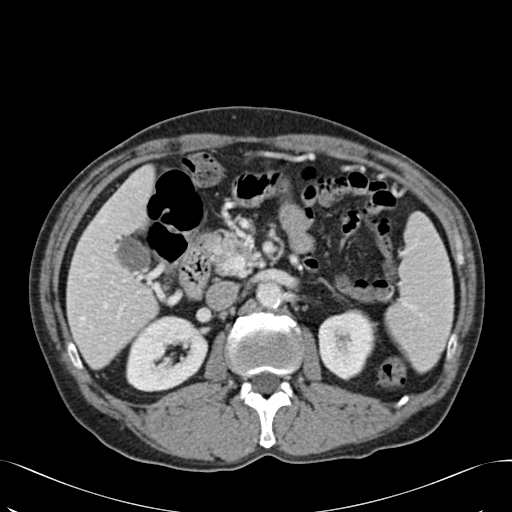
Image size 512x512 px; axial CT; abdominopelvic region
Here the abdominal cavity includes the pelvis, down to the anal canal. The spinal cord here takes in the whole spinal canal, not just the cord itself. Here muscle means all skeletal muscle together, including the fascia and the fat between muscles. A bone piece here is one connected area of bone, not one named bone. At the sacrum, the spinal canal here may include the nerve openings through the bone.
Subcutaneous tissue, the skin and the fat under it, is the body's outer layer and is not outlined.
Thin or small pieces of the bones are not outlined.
{"torso":[[[222,105],[289,108],[349,125],[419,162],[467,209],[484,264],[483,324],[447,415],[426,437],[359,459],[293,464],[264,456],[230,471],[186,471],[118,453],[81,426],[66,408],[38,345],[28,303],[30,260],[46,214],[82,168],[122,140],[162,119]]],"abdominal_cavity":[[[236,142],[365,163],[411,187],[435,214],[455,261],[459,311],[429,387],[383,401],[323,382],[310,331],[288,314],[263,310],[238,316],[227,334],[215,338],[204,380],[155,401],[117,397],[85,368],[66,327],[58,286],[65,250],[92,202],[140,162]]],"spinal_cord":[[[262,372],[268,372],[269,373],[271,373],[272,374],[277,375],[281,378],[281,380],[278,385],[278,389],[266,396],[257,391],[254,391],[252,389],[252,383],[250,380],[250,379],[252,377],[252,376],[253,376],[254,375],[257,375]]],"bones":[{"outer":[[259,311],[288,315],[301,329],[297,340],[302,351],[301,364],[289,376],[294,395],[290,398],[291,404],[281,406],[273,417],[271,426],[275,443],[269,448],[259,444],[261,424],[257,411],[237,397],[243,378],[230,369],[225,347],[226,337],[236,319]],"hole":[[262,372],[268,372],[269,373],[271,373],[272,374],[277,375],[281,378],[281,380],[278,385],[278,389],[266,396],[257,391],[254,391],[252,389],[252,383],[250,380],[250,379],[252,377],[252,376],[253,376],[254,375],[257,375]]},[[70,341],[74,344],[77,350],[77,352],[79,355],[79,357],[81,360],[81,362],[84,367],[84,369],[83,370],[81,370],[80,369],[78,369],[76,368],[72,364],[67,354],[67,352],[66,351],[66,346],[67,345],[67,343]],[[456,232],[458,232],[460,236],[460,238],[462,242],[462,251],[464,255],[464,264],[462,265],[460,265],[459,266],[458,266],[456,264],[456,261],[455,260],[455,256],[456,255],[456,248],[455,247],[455,241],[454,240],[454,235]],[[453,333],[455,333],[457,335],[457,346],[456,347],[456,350],[455,351],[455,353],[454,354],[454,355],[450,360],[447,361],[445,359],[445,357],[446,356],[446,351],[447,350],[447,346],[448,345],[448,342],[450,339],[450,337],[451,336],[451,335]]],"muscle":[[[193,132],[346,138],[409,163],[452,200],[471,242],[476,297],[455,378],[439,400],[395,430],[365,442],[307,455],[272,447],[274,417],[295,395],[290,376],[302,364],[302,328],[313,338],[323,383],[383,402],[396,401],[395,408],[406,404],[409,394],[429,388],[444,360],[450,361],[457,350],[456,265],[465,264],[465,255],[459,232],[453,235],[454,257],[436,214],[411,186],[382,169],[317,150],[236,141],[145,159],[106,185],[67,243],[57,293],[71,364],[123,400],[151,403],[204,381],[213,343],[226,333],[229,369],[242,378],[236,397],[256,411],[262,447],[235,462],[171,455],[86,401],[59,359],[40,305],[39,278],[50,233],[68,196],[102,162],[148,140]]]}